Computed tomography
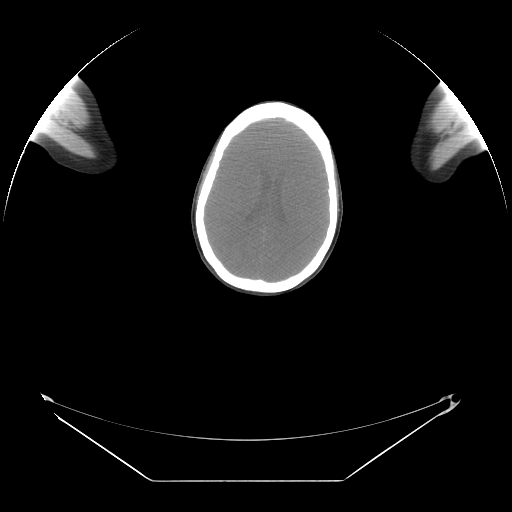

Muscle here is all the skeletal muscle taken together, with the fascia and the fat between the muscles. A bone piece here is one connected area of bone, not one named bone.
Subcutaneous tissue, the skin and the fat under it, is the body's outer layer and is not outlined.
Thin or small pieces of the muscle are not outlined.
The bones are outlined by (269, 101) (282, 101) (305, 110) (317, 120) (327, 135) (334, 159) (337, 222) (331, 244) (313, 273) (289, 289) (278, 292) (259, 292) (235, 287) (218, 276) (204, 257) (200, 247) (195, 227) (195, 208) (202, 182) (213, 156) (214, 148) (226, 125) (244, 109) (254, 104) with a hole at (274, 118) (281, 118) (294, 124) (307, 135) (317, 148) (323, 163) (327, 184) (328, 221) (321, 243) (312, 257) (301, 269) (281, 279) (266, 280) (262, 278) (237, 275) (224, 265) (216, 255) (209, 240) (205, 224) (205, 207) (217, 175) (220, 162) (231, 140) (251, 124). The brain is outlined by (274, 118) (281, 118) (294, 124) (307, 135) (317, 148) (323, 163) (327, 184) (328, 221) (321, 243) (312, 257) (301, 269) (281, 279) (266, 280) (262, 278) (237, 275) (224, 265) (216, 255) (209, 240) (205, 224) (205, 207) (217, 175) (220, 162) (231, 140) (251, 124). The muscle appears in 3 outlined pieces: piece 1: (449, 90) (451, 90) (455, 94) (464, 106) (477, 126) (478, 130) (481, 134) (481, 136) (466, 147) (463, 148) (441, 168) (434, 171) (431, 171) (428, 169) (426, 165) (427, 152) (429, 150) (429, 138) (427, 134) (429, 118) (433, 112) (436, 103) (441, 99) (444, 94); piece 2: (66, 84) (72, 87) (73, 90) (79, 96) (82, 104) (91, 118) (92, 121) (91, 136) (92, 137) (92, 141) (96, 146) (96, 154) (93, 158) (83, 158) (82, 157) (78, 157) (77, 158) (73, 156) (61, 145) (53, 140) (47, 133) (35, 126) (48, 105) (58, 92); piece 3: (212, 153) (212, 156) (211, 157) (210, 162) (208, 165) (208, 167) (206, 170) (206, 172) (201, 182) (195, 204) (195, 200) (197, 196) (197, 191) (199, 187) (199, 184) (201, 181) (201, 178) (202, 177) (203, 172) (205, 170) (205, 168) (207, 165) (207, 163). The right arm is outlined by (73, 76) (81, 78) (91, 88) (98, 101) (105, 125) (119, 151) (120, 160) (118, 165) (114, 169) (103, 174) (97, 175) (84, 174) (61, 166) (56, 163) (43, 148) (34, 143) (34, 141) (30, 139) (29, 137) (30, 133) (33, 131) (35, 125) (48, 105) (58, 92). The head is outlined by (268, 99) (285, 100) (297, 104) (317, 120) (327, 135) (335, 152) (341, 179) (343, 218) (339, 237) (333, 252) (316, 277) (303, 287) (285, 295) (255, 297) (236, 293) (224, 287) (203, 265) (196, 251) (190, 229) (190, 206) (200, 170) (218, 134) (233, 118) (248, 106). The left arm is outlined by (441, 83) (446, 85) (455, 94) (464, 106) (477, 126) (487, 147) (483, 150) (481, 154) (470, 158) (462, 163) (455, 173) (448, 180) (440, 184) (432, 185) (422, 181) (412, 171) (408, 161) (408, 149) (417, 123) (421, 106) (430, 90) (435, 85) (437, 84) (438, 85).